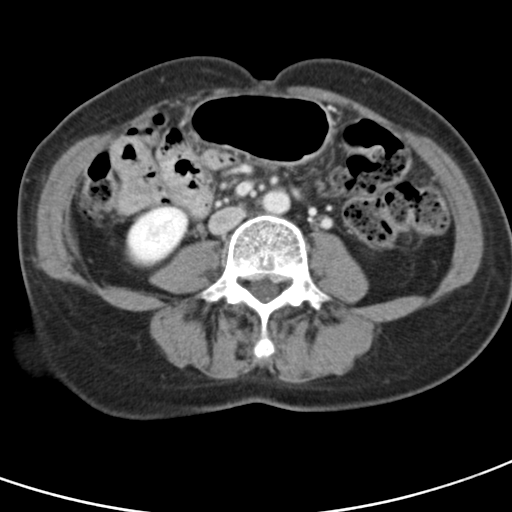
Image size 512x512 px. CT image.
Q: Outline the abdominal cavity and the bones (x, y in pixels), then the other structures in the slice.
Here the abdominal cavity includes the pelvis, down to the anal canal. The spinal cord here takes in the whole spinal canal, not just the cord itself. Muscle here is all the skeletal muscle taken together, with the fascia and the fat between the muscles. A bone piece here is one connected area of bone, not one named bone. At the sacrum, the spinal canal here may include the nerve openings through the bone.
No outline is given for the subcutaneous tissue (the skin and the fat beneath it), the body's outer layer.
A: Outlines:
abdominal cavity: 239 94; 324 102; 406 140; 441 186; 454 225; 449 268; 431 293; 356 306; 369 282; 341 238; 320 229; 304 237; 295 223; 268 213; 241 222; 227 247; 215 239; 182 246; 150 276; 169 294; 93 281; 69 222; 86 166; 154 114
bones: 264 214; 285 218; 300 229; 310 276; 332 299; 317 310; 306 301; 300 306; 275 310; 267 322; 267 335; 274 351; 257 358; 253 347; 260 337; 261 325; 252 309; 227 304; 223 298; 209 302; 194 296; 221 275; 233 231; 244 221, around a hole outlined by 263 276; 267 276; 269 277; 274 282; 276 283; 281 282; 286 279; 289 280; 290 282; 289 284; 275 297; 267 302; 262 302; 255 296; 254 296; 244 286; 243 286; 240 283; 239 280; 240 279; 242 280; 253 280; 254 279; 259 279
torso: 194 54; 232 59; 263 79; 304 58; 351 60; 401 84; 460 132; 511 227; 511 306; 475 361; 432 389; 363 410; 299 412; 250 403; 156 421; 108 416; 20 369; 7 340; 33 324; 16 237; 18 189; 32 151; 98 92; 148 66
spinal cord: 263 276; 267 276; 269 277; 274 282; 276 283; 281 282; 286 279; 289 280; 290 282; 289 284; 275 297; 267 302; 262 302; 255 296; 254 296; 244 286; 243 286; 240 283; 239 280; 240 279; 242 280; 253 280; 254 279; 259 279
muscle: 294 85; 320 87; 349 97; 394 123; 399 124; 418 134; 425 135; 431 138; 451 156; 463 172; 472 190; 479 210; 483 230; 484 249; 481 263; 470 282; 456 288; 438 302; 430 306; 421 308; 403 317; 389 321; 377 335; 364 357; 354 365; 353 368; 347 373; 340 375; 338 377; 326 379; 319 382; 305 382; 299 384; 292 384; 281 381; 274 381; 272 380; 272 376; 267 370; 260 371; 257 368; 245 375; 241 379; 240 378; 233 381; 223 381; 221 379; 214 379; 205 375; 191 373; 181 369; 173 365; 166 359; 160 348; 150 336; 146 324; 137 314; 132 311; 124 310; 111 305; 99 296; 90 293; 78 285; 54 279; 44 272; 37 259; 37 253; 35 251; 35 219; 37 203; 44 182; 52 165; 61 154; 77 140; 90 134; 101 133; 106 131; 113 126; 119 125; 133 118; 143 111; 146 108; 146 106; 155 104; 167 98; 168 96; 178 94; 189 89; 196 89; 198 87; 234 87; 242 90; 252 88; 264 90; 284 90; 286 87, around a hole outlined by 239 94; 324 102; 406 140; 454 225; 431 293; 354 305; 368 279; 316 229; 308 270; 332 299; 275 310; 274 351; 257 358; 252 309; 194 297; 224 269; 218 240; 182 246; 151 274; 169 294; 93 281; 69 222; 86 166; 154 114